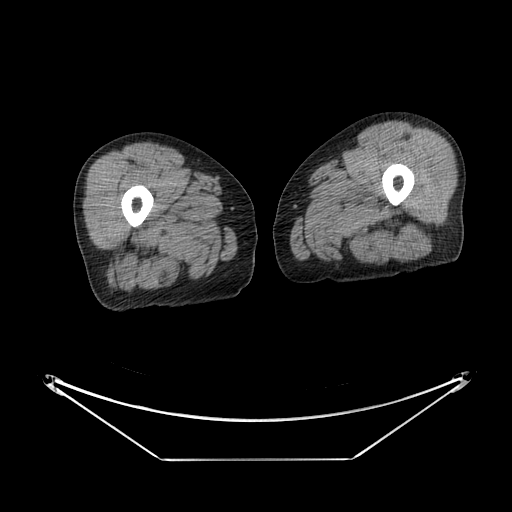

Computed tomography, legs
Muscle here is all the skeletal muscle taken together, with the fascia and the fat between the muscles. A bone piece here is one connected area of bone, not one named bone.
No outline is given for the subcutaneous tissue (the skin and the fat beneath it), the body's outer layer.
bones 1: 390 163; 402 163; 403 164; 405 164; 412 170; 414 174; 414 185; 413 186; 412 190; 408 196; 402 202; 396 206; 392 205; 388 201; 385 195; 383 193; 382 185; 381 184; 381 178; 382 177; 382 174; 387 166; 386 164; 389 164
bones 2: 135 184; 141 184; 142 185; 144 185; 151 192; 153 196; 154 205; 152 207; 151 211; 142 223; 136 227; 133 227; 126 221; 125 218; 123 216; 121 211; 121 208; 120 207; 120 203; 121 202; 121 197; 124 192; 132 185; 134 185
muscle 1: 393 119; 405 120; 438 132; 449 142; 455 154; 457 185; 448 205; 447 222; 440 227; 434 248; 426 256; 413 261; 389 261; 382 265; 298 262; 291 252; 289 237; 305 199; 304 193; 310 175; 320 165; 340 154; 355 133; 371 124; inner edge: 390 163; 402 163; 403 164; 405 164; 412 170; 414 174; 414 185; 413 186; 412 190; 408 196; 402 202; 396 206; 392 205; 388 201; 385 195; 383 193; 382 185; 381 184; 381 178; 382 177; 382 174; 387 166; 386 164; 389 164
muscle 2: 149 140; 177 149; 188 160; 216 177; 221 188; 223 213; 237 236; 237 249; 234 258; 208 277; 179 283; 167 288; 134 292; 129 295; 119 296; 108 285; 106 259; 96 249; 87 234; 82 211; 86 175; 94 161; 103 154; 129 143 with a hole at 135 184; 141 184; 142 185; 144 185; 151 192; 153 196; 154 205; 152 207; 151 211; 142 223; 136 227; 133 227; 126 221; 125 218; 123 216; 121 211; 121 208; 120 207; 120 203; 121 202; 121 197; 124 192; 132 185; 134 185
left leg: 388 110; 410 111; 432 119; 453 136; 461 150; 465 164; 466 182; 462 208; 464 235; 458 258; 451 263; 387 278; 342 283; 329 279; 312 283; 294 283; 288 280; 277 264; 272 237; 272 225; 283 188; 302 161; 334 134; 362 117
right leg: 137 131; 162 132; 195 145; 229 170; 248 193; 254 206; 257 227; 255 265; 250 281; 235 297; 195 305; 180 307; 151 306; 125 312; 114 312; 106 309; 95 298; 88 282; 73 223; 72 205; 76 178; 85 160; 97 148; 116 137